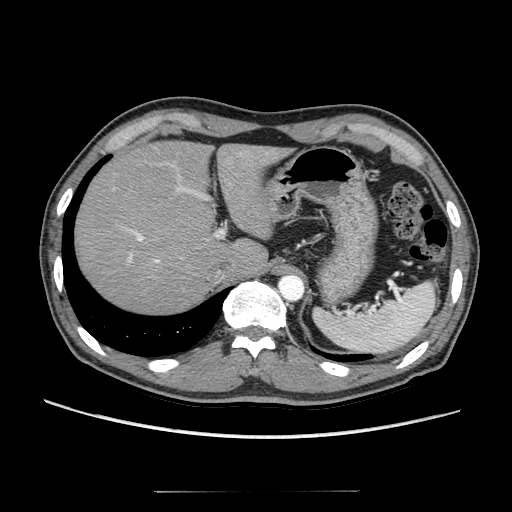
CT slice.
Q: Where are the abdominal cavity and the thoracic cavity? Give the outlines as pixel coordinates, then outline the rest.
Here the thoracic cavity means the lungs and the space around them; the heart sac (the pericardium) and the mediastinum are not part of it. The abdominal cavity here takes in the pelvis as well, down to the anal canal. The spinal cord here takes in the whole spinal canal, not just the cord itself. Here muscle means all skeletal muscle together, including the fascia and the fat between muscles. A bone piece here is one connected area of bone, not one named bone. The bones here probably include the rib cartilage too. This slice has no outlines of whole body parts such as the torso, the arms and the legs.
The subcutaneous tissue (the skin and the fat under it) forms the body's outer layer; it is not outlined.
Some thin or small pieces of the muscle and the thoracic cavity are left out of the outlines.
A: Outlines (x, y in pixels):
abdominal cavity: 158 126; 215 137; 273 128; 301 142; 351 135; 395 148; 433 184; 451 228; 449 293; 423 340; 381 361; 370 361; 369 353; 309 347; 294 326; 304 284; 289 269; 228 286; 173 315; 131 313; 106 301; 78 267; 76 214; 110 153
thoracic cavity 1: 109 153; 110 157; 85 188; 72 230; 77 267; 97 294; 124 312; 164 317; 192 310; 222 290; 232 287; 222 302; 222 317; 210 334; 200 343; 179 353; 166 357; 145 357; 101 344; 80 323; 68 297; 61 253; 64 214; 85 174
thoracic cavity 2: 311 346; 322 352; 325 352; 329 354; 369 354; 371 355; 372 358; 370 359; 369 361; 360 361; 359 362; 339 362; 338 361; 334 361; 333 360; 326 359; 324 357; 322 357; 320 355; 318 355; 314 353; 310 349; 310 347
muscle: 163 108; 185 108; 186 109; 187 108; 223 117; 243 121; 248 121; 249 122; 254 122; 259 124; 269 124; 270 125; 297 123; 320 118; 333 117; 346 113; 363 113; 380 118; 388 124; 405 131; 419 142; 433 158; 449 185; 455 193; 467 221; 472 246; 470 254; 470 268; 468 273; 466 291; 465 292; 465 301; 463 309; 452 333; 442 349; 436 354; 428 357; 416 366; 402 373; 390 377; 380 379; 356 387; 352 387; 338 391; 309 393; 308 392; 294 392; 293 391; 282 390; 274 387; 271 384; 266 383; 259 378; 250 378; 236 388; 227 391; 187 391; 186 390; 180 390; 176 388; 168 387; 145 380; 119 368; 106 364; 85 352; 78 346; 63 326; 56 311; 56 308; 52 297; 51 282; 50 281; 50 270; 48 264; 48 253; 47 252; 48 228; 49 227; 49 221; 51 217; 50 216; 51 209; 56 200; 56 197; 60 189; 67 178; 86 156; 93 146; 104 135; 117 126; 131 119; 140 116; 149 111; inner edge: 174 112; 194 115; 201 126; 179 123; 161 123; 160 126; 180 126; 215 137; 273 128; 301 142; 317 142; 324 139; 321 131; 331 124; 361 122; 384 128; 413 145; 423 156; 423 164; 417 169; 433 184; 443 210; 446 210; 448 199; 455 205; 460 218; 458 228; 452 224; 450 227; 451 274; 457 267; 461 270; 461 290; 453 305; 451 295; 447 295; 423 338; 430 341; 426 350; 400 368; 395 366; 401 356; 381 361; 343 362; 351 370; 347 375; 339 376; 319 366; 319 362; 326 359; 300 339; 288 320; 293 341; 281 327; 274 336; 276 347; 263 348; 253 358; 247 349; 230 346; 234 332; 222 317; 203 341; 170 355; 168 357; 177 359; 179 364; 166 371; 155 372; 147 367; 147 362; 153 357; 122 352; 104 344; 101 346; 106 356; 92 349; 76 330; 75 326; 80 322; 66 289; 59 292; 53 276; 55 257; 62 251; 64 218; 63 215; 57 216; 57 204; 67 188; 76 190; 88 170; 104 155; 101 150; 114 134; 142 119
bones 1: 255 279; 275 288; 286 304; 287 325; 293 341; 289 338; 286 330; 281 327; 274 336; 276 347; 274 349; 263 348; 256 358; 253 358; 247 349; 243 347; 232 348; 230 346; 234 332; 223 319; 222 307; 226 296; 233 287; 241 282; inner edge: 248 326; 260 326; 262 328; 265 329; 266 330; 266 332; 267 333; 264 336; 261 337; 259 339; 258 339; 257 340; 252 340; 251 339; 250 339; 246 335; 245 335; 243 332; 243 330; 246 327; 247 327
bones 2: 339 122; 369 123; 384 128; 402 137; 413 145; 423 156; 423 164; 414 167; 392 145; 378 141; 377 139; 371 137; 360 137; 357 135; 352 135; 349 133; 348 134; 346 133; 347 132; 345 129; 324 138; 321 134; 321 131; 329 125
bones 3: 174 112; 185 112; 194 115; 201 122; 200 127; 190 127; 179 123; 161 123; 153 129; 150 129; 140 133; 117 149; 106 153; 104 155; 101 153; 101 150; 104 148; 105 143; 114 134; 125 127; 148 117; 151 117; 158 114; 167 114
bones 4: 427 339; 429 340; 430 342; 426 350; 418 358; 417 358; 411 363; 403 367; 401 367; 400 368; 395 368; 395 366; 401 360; 402 357; 406 353; 407 353; 410 350; 411 350; 422 341; 424 340; 426 340
bones 5: 167 357; 169 358; 175 358; 177 359; 179 361; 179 364; 177 366; 173 368; 171 368; 166 371; 158 371; 157 372; 155 372; 152 370; 150 370; 147 367; 147 365; 146 364; 149 360; 151 359; 155 359; 156 358; 166 358
bones 6: 324 360; 329 360; 330 361; 333 361; 334 362; 342 363; 344 365; 346 365; 348 367; 349 367; 351 370; 350 372; 345 376; 339 376; 338 375; 334 375; 333 374; 328 373; 324 370; 323 370; 319 366; 319 362; 323 361
bones 7: 79 324; 80 324; 94 338; 95 338; 99 342; 102 348; 106 353; 107 355; 106 356; 101 355; 99 353; 98 353; 96 351; 92 349; 81 338; 78 332; 76 330; 76 328; 75 327; 76 325; 78 325
bones 8: 457 267; 458 267; 462 272; 462 277; 463 278; 462 279; 462 285; 461 286; 461 290; 460 291; 459 296; 456 302; 453 305; 451 305; 451 295; 450 294; 450 285; 451 284; 451 281; 452 280; 452 276; 453 275; 453 272
bones 9: 57 254; 61 254; 61 260; 62 261; 62 267; 63 268; 63 285; 64 286; 64 289; 61 292; 59 292; 58 291; 58 289; 56 286; 56 283; 55 282; 55 280; 53 276; 53 264; 54 263; 54 260; 55 259; 55 257
bones 10: 69 187; 72 187; 74 189; 74 192; 72 195; 72 197; 71 198; 63 215; 62 215; 61 216; 59 216; 58 217; 57 216; 57 214; 56 213; 56 212; 57 211; 57 204; 58 203; 60 198; 62 196; 63 193; 66 190; 66 189
bones 11: 448 199; 453 202; 459 214; 459 217; 460 218; 460 226; 458 228; 455 227; 452 224; 451 224; 448 218; 448 216; 446 213; 446 206; 445 205; 445 202; 446 200
spinal cord: 248 326; 260 326; 262 328; 265 329; 266 330; 266 332; 267 333; 264 336; 261 337; 259 339; 258 339; 257 340; 252 340; 251 339; 250 339; 246 335; 245 335; 243 332; 243 330; 246 327; 247 327
mediastinum: 275 270; 289 270; 292 274; 295 274; 296 276; 298 276; 303 284; 304 295; 302 297; 301 304; 296 315; 296 321; 294 324; 292 324; 288 320; 287 304; 282 299; 276 288; 269 283; 257 280; 257 278; 259 276; 266 272; 274 271